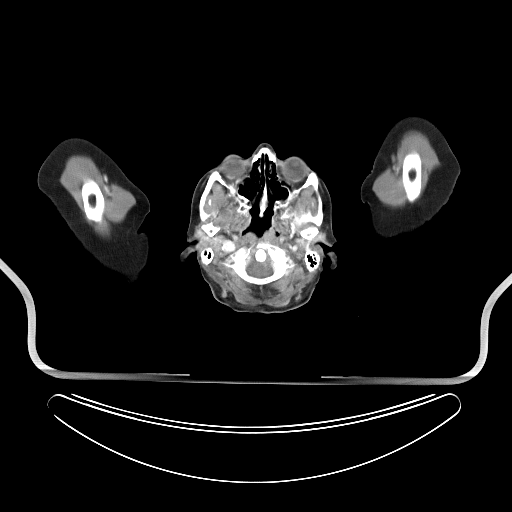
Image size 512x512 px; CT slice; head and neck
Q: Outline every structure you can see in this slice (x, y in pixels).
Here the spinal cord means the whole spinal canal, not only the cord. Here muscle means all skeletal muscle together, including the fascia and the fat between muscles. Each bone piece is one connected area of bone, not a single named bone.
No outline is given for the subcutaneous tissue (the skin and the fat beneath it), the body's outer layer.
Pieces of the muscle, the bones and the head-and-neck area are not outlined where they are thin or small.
A: Outlines (x, y in pixels):
left arm: 409 113; 421 114; 429 118; 438 126; 457 158; 461 171; 449 200; 431 221; 429 221; 423 227; 413 233; 380 239; 374 235; 370 227; 368 205; 364 203; 360 198; 360 187; 364 178; 372 168; 374 158; 388 129; 398 118
muscle 1: 216 183; 226 190; 225 195; 231 198; 235 205; 236 215; 241 217; 236 225; 238 234; 250 238; 247 244; 238 247; 230 238; 226 238; 220 247; 227 253; 223 263; 244 281; 262 286; 281 278; 292 269; 297 263; 288 249; 273 241; 277 240; 284 227; 290 223; 300 228; 298 234; 305 241; 302 256; 304 267; 310 273; 319 269; 299 301; 278 308; 265 305; 247 307; 220 295; 216 284; 201 264; 205 266; 210 264; 215 252; 211 246; 201 247; 199 249; 199 250; 198 251; 199 252; 200 261; 198 255; 198 246; 199 243; 194 236; 198 220; 198 201; 198 216; 202 222; 200 229; 210 238; 214 238; 221 229; 214 222; 218 212; 213 208; 206 209; 208 208; 206 202
muscle 2: 73 153; 81 153; 90 156; 103 172; 107 173; 113 181; 130 191; 136 199; 136 205; 128 213; 124 221; 113 226; 113 230; 109 238; 102 238; 99 236; 83 219; 75 201; 59 182; 59 176; 64 167; 65 160; 69 155; inner edge: 89 178; 94 180; 97 183; 101 190; 101 192; 103 195; 103 198; 104 199; 104 209; 103 210; 102 220; 100 223; 97 223; 96 222; 88 220; 84 212; 84 205; 83 204; 83 200; 81 195; 81 188; 84 181; 86 179; 88 179
muscle 3: 409 129; 417 129; 427 135; 438 155; 441 166; 429 176; 425 190; 418 202; 413 204; 408 203; 403 207; 399 208; 392 208; 382 204; 378 200; 372 190; 372 185; 376 177; 386 167; 388 158; 390 154; 396 149; 397 143; 402 134, around a hole outlined by 411 152; 416 152; 418 153; 420 157; 420 159; 421 160; 421 191; 420 192; 420 195; 419 197; 412 203; 409 202; 406 197; 406 193; 405 192; 405 190; 403 186; 403 183; 402 182; 402 167; 403 166; 403 160; 404 159; 405 155
muscle 4: 309 187; 311 187; 312 189; 312 191; 315 197; 315 200; 314 201; 316 204; 316 211; 315 213; 313 213; 309 208; 307 208; 306 209; 303 209; 301 207; 300 207; 299 208; 293 208; 292 209; 292 203; 300 195; 301 192; 303 190
muscle 5: 319 182; 323 192; 324 201; 324 220; 327 226; 326 228; 326 237; 325 240; 321 241; 319 244; 321 248; 321 261; 321 255; 320 253; 316 249; 312 248; 310 246; 312 240; 320 233; 319 227; 322 224; 323 220; 324 219; 323 212; 323 201; 318 188
right arm: 72 136; 86 138; 103 149; 117 163; 126 176; 144 192; 149 200; 150 210; 139 228; 140 231; 147 232; 149 235; 149 259; 141 279; 133 285; 125 285; 111 273; 92 261; 59 215; 51 201; 37 186; 38 170; 47 155; 60 141
spinal cord: 252 262; 256 262; 257 263; 263 263; 264 264; 267 262; 269 264; 270 267; 272 269; 272 272; 271 274; 267 276; 264 276; 263 277; 258 277; 257 276; 254 276; 253 275; 251 275; 249 274; 247 271; 247 267; 248 265
head and neck: 262 141; 272 145; 279 159; 298 155; 321 176; 331 197; 336 238; 332 246; 319 244; 336 254; 336 268; 326 258; 309 301; 281 313; 232 310; 213 297; 194 253; 185 263; 179 258; 188 245; 191 198; 200 177; 228 153; 250 156; inner edges: 273 170; 274 179; 286 191; 286 195; 283 198; 273 198; 271 202; 272 212; 270 223; 258 235; 250 229; 252 222; 251 209; 258 198; 257 215; 259 218; 264 216; 270 201; 270 196; 272 198; 275 196; 270 187; 270 182; 273 179, then 256 163; 256 172; 259 176; 263 178; 261 183; 261 191; 258 189; 261 185; 260 179; 255 177; 252 179; 254 184; 252 190; 252 197; 249 197; 247 195; 240 193; 239 189; 240 186; 243 185; 246 180; 249 180; 252 177; 252 170
bones 1: 261 147; 274 151; 283 163; 279 172; 290 188; 302 184; 311 170; 316 173; 323 219; 309 245; 320 255; 317 269; 305 267; 306 241; 301 228; 290 222; 272 241; 287 249; 296 264; 259 285; 224 263; 226 239; 236 248; 251 240; 239 234; 242 217; 227 190; 216 182; 205 202; 207 211; 217 212; 213 222; 220 229; 214 237; 201 229; 199 200; 213 170; 229 182; 248 169; 243 161, around holes outlined by 273 170; 274 179; 286 191; 286 195; 283 198; 273 198; 271 202; 272 212; 270 223; 258 235; 250 229; 252 222; 251 209; 258 198; 257 215; 259 218; 264 216; 270 201; 270 196; 272 198; 275 196; 270 187; 270 182; 273 179 and by 309 187; 311 187; 312 189; 312 191; 315 197; 315 200; 314 201; 316 204; 316 211; 315 213; 313 213; 309 208; 307 208; 306 209; 303 209; 301 207; 300 207; 299 208; 293 208; 292 209; 292 203; 300 195; 301 192; 303 190 and by 252 262; 256 262; 257 263; 263 263; 264 264; 267 262; 269 264; 270 267; 272 269; 272 272; 271 274; 267 276; 264 276; 263 277; 258 277; 257 276; 254 276; 253 275; 251 275; 249 274; 247 271; 247 267; 248 265 and by 256 163; 256 172; 259 176; 263 178; 261 183; 261 191; 258 189; 261 185; 260 179; 255 177; 252 179; 254 184; 252 190; 252 197; 249 197; 247 195; 240 193; 239 189; 240 186; 243 185; 246 180; 249 180; 252 177; 252 170
bones 2: 411 152; 416 152; 418 153; 420 157; 420 159; 421 160; 421 191; 420 192; 420 195; 419 197; 412 203; 409 202; 406 197; 406 193; 405 192; 405 190; 403 186; 403 183; 402 182; 402 167; 403 166; 403 160; 404 159; 405 155
bones 3: 89 178; 94 180; 97 183; 101 190; 101 192; 103 195; 103 198; 104 199; 104 209; 103 210; 102 220; 100 223; 97 223; 96 222; 88 220; 84 212; 84 205; 83 204; 83 200; 81 195; 81 188; 84 181; 86 179; 88 179
bones 4: 207 246; 208 247; 211 247; 212 248; 212 249; 214 252; 214 257; 213 258; 212 261; 210 263; 209 263; 207 265; 205 265; 204 264; 203 264; 201 262; 201 257; 200 256; 200 252; 199 251; 201 248; 202 248; 203 247; 206 247